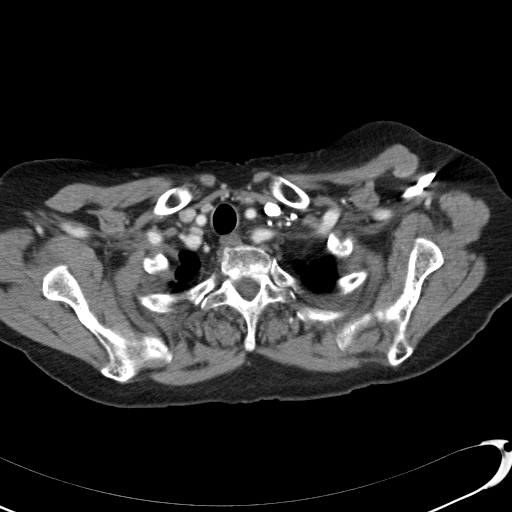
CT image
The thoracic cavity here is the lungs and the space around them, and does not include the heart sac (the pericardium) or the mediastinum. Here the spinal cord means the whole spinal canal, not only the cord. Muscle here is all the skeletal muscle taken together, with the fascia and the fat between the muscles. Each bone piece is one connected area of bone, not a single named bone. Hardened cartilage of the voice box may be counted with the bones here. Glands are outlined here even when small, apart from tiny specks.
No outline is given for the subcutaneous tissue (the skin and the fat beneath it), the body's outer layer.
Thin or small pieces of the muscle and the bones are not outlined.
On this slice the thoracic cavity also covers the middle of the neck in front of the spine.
{"right_arm":[[[0,206],[6,207],[10,209],[15,214],[23,218],[30,225],[35,233],[35,236],[36,237],[36,243],[37,244],[37,260],[36,261],[36,264],[33,271],[22,281],[18,283],[16,283],[13,285],[10,285],[9,286],[3,287],[2,288],[0,288]]],"thoracic_cavity":[{"outer":[[226,191],[271,200],[291,220],[315,235],[337,261],[339,276],[334,289],[324,293],[311,291],[280,265],[282,254],[260,243],[240,243],[216,250],[197,283],[182,291],[170,292],[169,283],[173,280],[170,276],[181,232],[176,223],[178,211],[193,208]],"hole":[[206,203],[210,203],[213,206],[213,207],[211,209],[210,209],[207,212],[202,212],[200,210],[200,209]]}],"bones":[{"outer":[[240,244],[265,249],[300,285],[294,300],[287,295],[286,302],[272,302],[264,308],[256,324],[251,352],[244,347],[246,322],[228,305],[203,310],[184,301],[173,305],[172,311],[156,312],[138,301],[138,295],[177,293],[194,286],[216,268],[224,247]],"hole":[[244,278],[249,278],[251,280],[253,280],[256,283],[257,283],[258,284],[258,290],[257,291],[256,294],[251,299],[250,299],[249,300],[244,298],[239,293],[239,292],[237,290],[237,289],[235,286],[235,284],[238,281],[239,281],[240,280],[242,280]]},[[59,264],[67,266],[79,284],[89,309],[100,323],[119,335],[161,337],[172,353],[171,360],[167,363],[155,359],[152,362],[154,365],[141,368],[125,382],[100,373],[99,368],[109,361],[106,349],[66,302],[50,300],[43,295],[43,275]],[[417,237],[437,244],[444,261],[423,280],[406,325],[405,337],[414,346],[412,353],[401,363],[390,365],[386,351],[397,325],[394,321],[379,321],[375,316],[353,335],[347,348],[341,349],[336,335],[346,323],[375,306],[392,304],[402,293],[409,255]],[[275,175],[280,175],[282,176],[287,180],[290,181],[292,183],[302,189],[309,196],[309,199],[310,201],[307,207],[303,209],[302,208],[297,208],[296,207],[293,207],[278,200],[275,197],[274,197],[271,193],[271,191],[270,190],[270,183],[273,177]],[[185,183],[187,184],[189,189],[192,193],[192,195],[193,196],[192,199],[185,206],[171,214],[169,214],[168,215],[164,215],[163,216],[156,216],[154,215],[152,211],[153,210],[153,207],[156,203],[158,198],[168,189],[172,188],[175,186],[179,186]],[[301,306],[307,306],[312,308],[319,308],[320,309],[333,310],[334,311],[342,310],[345,311],[345,314],[342,317],[338,318],[332,322],[329,322],[328,323],[323,323],[320,321],[311,321],[310,320],[303,321],[296,317],[295,315],[297,309]],[[330,232],[334,232],[340,239],[344,238],[347,235],[351,235],[355,239],[355,242],[353,246],[353,249],[349,254],[349,255],[344,258],[337,260],[331,254],[330,254],[330,253],[328,251],[327,251],[328,247],[326,244],[326,242],[327,241],[327,239]],[[362,269],[366,270],[368,273],[367,277],[362,284],[355,288],[352,291],[348,293],[346,293],[345,294],[342,294],[340,293],[340,292],[335,288],[335,286],[336,285],[336,281],[339,277],[345,274],[349,274],[352,272],[355,272],[356,271],[358,271]],[[159,252],[164,256],[165,256],[168,259],[169,261],[169,263],[170,264],[170,267],[172,271],[171,273],[165,276],[160,276],[156,274],[152,274],[151,273],[149,273],[147,272],[143,267],[143,259],[144,257],[152,257],[154,256],[155,254]]],"left_arm":[[[458,148],[479,158],[487,164],[494,172],[502,189],[511,197],[511,247],[492,247],[491,246],[482,245],[477,243],[468,242],[454,234],[449,229],[445,223],[441,215],[441,212],[436,198],[436,180],[437,179],[438,173],[443,163],[448,158],[448,157]]],"spinal_cord":[[[244,278],[249,278],[251,280],[253,280],[256,283],[257,283],[258,284],[258,290],[257,291],[256,294],[251,299],[250,299],[249,300],[244,298],[239,293],[239,292],[237,290],[237,289],[235,286],[235,284],[238,281],[239,281],[240,280],[242,280]]],"muscle":[{"outer":[[395,143],[417,155],[419,172],[483,198],[490,217],[478,240],[483,280],[415,348],[407,325],[445,261],[425,236],[413,241],[397,298],[337,332],[345,350],[374,317],[394,322],[389,365],[319,372],[252,353],[194,384],[126,382],[173,353],[159,335],[100,322],[64,263],[42,275],[41,292],[105,349],[98,371],[0,320],[0,231],[31,227],[24,212],[46,209],[68,184],[209,172],[238,186],[254,170],[358,166]],"holes":[[[185,183],[193,196],[187,208],[230,191],[273,201],[325,245],[330,232],[351,235],[353,249],[337,261],[337,274],[364,269],[367,277],[345,294],[316,293],[300,283],[294,300],[287,295],[284,303],[269,303],[251,352],[244,347],[246,322],[228,305],[203,310],[184,301],[169,312],[149,310],[137,296],[169,292],[173,280],[170,273],[147,272],[143,259],[159,252],[172,271],[181,232],[177,211],[156,216],[153,207]],[[275,175],[280,175],[282,176],[287,180],[290,181],[292,183],[302,189],[309,196],[309,199],[310,201],[307,207],[303,209],[302,208],[297,208],[296,207],[293,207],[278,200],[275,197],[274,197],[271,193],[271,191],[270,190],[270,183],[273,177]],[[301,306],[307,306],[312,308],[319,308],[320,309],[333,310],[334,311],[342,310],[345,311],[345,314],[342,317],[338,318],[332,322],[329,322],[328,323],[323,323],[320,321],[311,321],[310,320],[303,321],[296,317],[295,315],[297,309]]]},[[218,250],[219,251],[220,250],[220,251],[218,255],[218,258],[217,259],[217,264],[215,268],[209,274],[209,275],[208,275],[202,280],[199,281],[198,280],[203,275],[203,274],[209,267],[212,261],[213,256],[215,254],[216,251]],[[263,247],[264,247],[265,248],[269,248],[270,249],[271,249],[274,252],[275,252],[278,254],[280,254],[281,255],[282,255],[282,258],[281,259],[281,260],[278,261],[277,258],[275,256],[272,255],[265,248],[264,248]]],"torso":[[[380,119],[456,147],[435,180],[444,223],[468,243],[511,248],[511,298],[437,367],[313,400],[118,408],[74,393],[0,341],[0,289],[25,280],[38,260],[34,229],[0,205],[0,175],[11,166],[53,157],[122,166],[202,159],[242,163],[312,150]]],"thyroid_glands":[[[206,203],[210,203],[213,206],[213,207],[211,209],[210,209],[207,212],[202,212],[200,210],[200,209]],[[237,195],[239,195],[240,196],[242,196],[243,197],[246,197],[247,198],[251,198],[253,200],[253,201],[251,203],[245,203],[245,202],[242,199],[236,199],[236,196]]]}